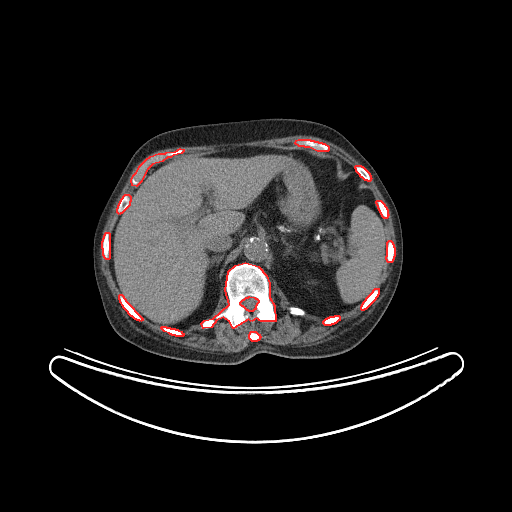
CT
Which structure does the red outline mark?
red: bones.
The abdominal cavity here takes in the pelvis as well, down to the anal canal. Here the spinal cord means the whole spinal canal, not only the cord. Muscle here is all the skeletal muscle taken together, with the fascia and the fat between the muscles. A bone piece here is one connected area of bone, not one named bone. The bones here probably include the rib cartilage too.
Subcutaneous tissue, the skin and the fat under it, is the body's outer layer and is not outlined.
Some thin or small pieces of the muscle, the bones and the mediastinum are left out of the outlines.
bones 1: (245, 262) (258, 266) (266, 275) (269, 283) (269, 297) (274, 305) (275, 321) (261, 321) (256, 318) (251, 321) (248, 319) (233, 328) (229, 321) (223, 317) (216, 320) (211, 327) (203, 328) (201, 323) (204, 320) (213, 318) (229, 304) (225, 290) (228, 271) (235, 265), around a hole outlined by (249, 296) (254, 297) (255, 298) (256, 298) (258, 300) (258, 302) (256, 304) (256, 305) (255, 306) (255, 309) (254, 309) (252, 311) (249, 311) (248, 310) (247, 310) (243, 306) (242, 306) (240, 304) (240, 302) (243, 299) (244, 299) (246, 297) (248, 297)
bones 2: (180, 148) (183, 149) (183, 151) (181, 153) (173, 155) (170, 157) (167, 157) (162, 161) (152, 164) (147, 169) (140, 182) (136, 186) (132, 185) (131, 180) (133, 175) (136, 172) (140, 165) (146, 159) (150, 156) (158, 153) (165, 153) (166, 152) (175, 151)
bones 3: (298, 139) (309, 139) (310, 140) (313, 140) (314, 141) (317, 141) (318, 142) (321, 142) (322, 143) (324, 143) (328, 146) (328, 150) (327, 151) (317, 151) (309, 147) (305, 147) (304, 146) (299, 146) (295, 143) (296, 140)
bones 4: (120, 294) (121, 294) (123, 296) (123, 297) (125, 299) (125, 300) (142, 318) (142, 320) (141, 320) (140, 321) (139, 320) (137, 320) (136, 319) (135, 319) (132, 316) (131, 316) (128, 313) (128, 312) (123, 307) (123, 306) (120, 302) (120, 300) (119, 299) (119, 295)
bones 5: (106, 232) (108, 232) (109, 233) (109, 258) (108, 259) (106, 259) (104, 257) (104, 256) (103, 255) (103, 249) (102, 248) (102, 241) (103, 240) (103, 238) (104, 237) (104, 235) (105, 234) (105, 233)
bones 6: (375, 288) (378, 288) (378, 294) (377, 295) (377, 296) (375, 298) (375, 299) (365, 309) (364, 309) (363, 310) (362, 310) (361, 309) (361, 306) (362, 305) (362, 304) (363, 303) (363, 302) (366, 299) (366, 298) (373, 291) (373, 290)
bones 7: (125, 194) (128, 194) (130, 196) (130, 201) (129, 202) (129, 205) (121, 213) (120, 213) (119, 214) (117, 212) (117, 208) (118, 207) (118, 205) (119, 204) (119, 203) (120, 202) (120, 201) (121, 200) (121, 199) (123, 197) (123, 196)
bones 8: (389, 240) (390, 240) (392, 242) (392, 243) (393, 244) (393, 246) (394, 247) (394, 256) (393, 257) (393, 259) (392, 260) (392, 261) (391, 262) (388, 262) (387, 261) (387, 260) (386, 259) (386, 256) (387, 255) (387, 242)
bones 9: (356, 165) (360, 165) (361, 166) (362, 166) (369, 173) (369, 174) (370, 175) (370, 177) (371, 178) (370, 179) (370, 180) (369, 181) (368, 181) (367, 180) (365, 180) (362, 177) (361, 177) (360, 176) (360, 175) (356, 171) (356, 169) (355, 168) (355, 166)
bones 10: (162, 326) (165, 326) (166, 327) (169, 327) (170, 328) (174, 328) (175, 329) (177, 329) (178, 330) (181, 331) (181, 332) (182, 333) (183, 333) (183, 335) (182, 336) (176, 336) (175, 335) (172, 335) (171, 334) (170, 334) (169, 333) (164, 331) (161, 328) (161, 327)
bones 11: (377, 200) (380, 200) (384, 204) (384, 205) (386, 207) (386, 208) (387, 209) (387, 213) (388, 214) (388, 215) (386, 218) (384, 218) (382, 216) (382, 215) (381, 214) (381, 213) (380, 212) (380, 211) (378, 208) (378, 206) (376, 203) (376, 201)
bones 12: (335, 315) (338, 315) (339, 316) (339, 320) (338, 320) (335, 323) (334, 323) (333, 324) (331, 324) (330, 325) (325, 325) (323, 323) (323, 321) (326, 318) (327, 318) (328, 317) (329, 317) (330, 316) (334, 316)
bones 13: (251, 331) (255, 331) (258, 334) (259, 334) (259, 335) (260, 336) (260, 337) (259, 338) (259, 339) (258, 340) (257, 340) (256, 341) (252, 341) (249, 338) (249, 334) (250, 333) (250, 332)
muscle 1: (292, 135) (311, 135) (338, 145) (362, 165) (356, 164) (354, 168) (339, 155) (328, 153) (326, 143) (309, 138) (296, 139) (294, 143) (298, 147) (291, 148) (242, 145) (182, 153) (184, 149) (180, 147) (146, 158) (131, 177) (131, 185) (136, 187) (131, 197) (125, 193) (117, 205) (119, 215) (110, 237) (106, 231) (101, 241) (102, 255) (109, 259) (120, 292) (119, 302) (135, 320) (140, 322) (143, 318) (176, 337) (184, 335) (180, 330) (196, 324) (209, 329) (223, 318) (233, 329) (248, 320) (274, 323) (277, 316) (266, 272) (291, 304) (287, 307) (291, 315) (304, 316) (306, 312) (323, 318) (322, 323) (330, 326) (340, 320) (339, 314) (360, 304) (360, 309) (365, 310) (379, 294) (376, 285) (386, 260) (391, 263) (395, 256) (394, 244) (386, 238) (384, 219) (389, 215) (388, 209) (380, 199) (375, 201) (368, 187) (371, 175) (392, 213) (397, 251) (387, 291) (373, 311) (349, 330) (314, 345) (287, 346) (257, 341) (260, 334) (251, 330) (248, 338) (252, 342) (229, 354) (207, 354) (176, 347) (132, 328) (102, 278) (99, 251) (110, 210) (133, 168) (147, 155) (170, 147)
muscle 2: (223, 284) (224, 284) (224, 290) (225, 291) (226, 296) (228, 299) (228, 304) (223, 310) (217, 313) (213, 317) (210, 317) (214, 312) (218, 304) (218, 302) (219, 301) (219, 299) (221, 295) (221, 291) (223, 287)
mediastinum: (337, 156) (339, 156) (341, 158) (342, 158) (345, 161) (346, 161) (348, 163) (351, 164) (353, 166) (353, 168) (354, 169) (355, 169) (355, 170) (350, 170) (349, 171) (344, 173) (344, 172) (342, 170) (342, 163) (341, 162) (341, 160) (340, 159) (339, 159) (337, 157)
spinal cord: (249, 296) (254, 297) (255, 298) (256, 298) (258, 300) (258, 302) (256, 304) (256, 305) (255, 306) (255, 309) (254, 309) (252, 311) (249, 311) (248, 310) (247, 310) (243, 306) (242, 306) (240, 304) (240, 302) (243, 299) (244, 299) (246, 297) (248, 297)
torso: (269, 117) (311, 120) (334, 128) (372, 165) (392, 198) (401, 223) (403, 262) (396, 290) (380, 320) (352, 349) (321, 358) (258, 353) (238, 364) (217, 365) (160, 356) (126, 341) (113, 330) (106, 317) (94, 275) (92, 251) (99, 216) (129, 159) (145, 141) (164, 131)
abdominal cavity: (242, 146) (327, 152) (340, 160) (344, 174) (355, 171) (364, 180) (383, 218) (387, 241) (375, 287) (362, 303) (324, 318) (292, 305) (266, 271) (245, 261) (227, 271) (208, 318) (185, 329) (149, 321) (126, 300) (112, 272) (110, 238) (120, 214) (158, 163) (179, 154)